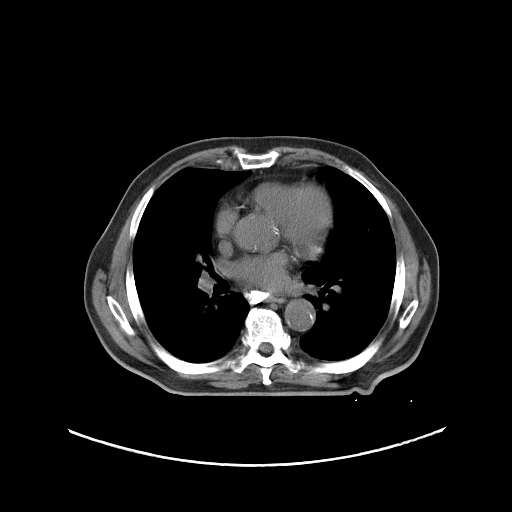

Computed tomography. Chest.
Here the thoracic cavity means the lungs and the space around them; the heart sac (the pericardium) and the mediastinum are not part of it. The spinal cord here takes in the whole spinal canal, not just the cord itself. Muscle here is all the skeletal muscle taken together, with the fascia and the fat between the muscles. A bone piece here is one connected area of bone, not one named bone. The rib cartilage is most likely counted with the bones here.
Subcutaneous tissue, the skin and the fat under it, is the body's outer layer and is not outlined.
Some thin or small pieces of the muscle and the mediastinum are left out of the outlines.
The torso is outlined by 263 135; 317 137; 357 149; 405 196; 436 246; 439 258; 439 302; 423 346; 411 364; 383 378; 369 395; 355 391; 343 396; 185 396; 172 393; 114 360; 100 343; 88 319; 83 302; 86 263; 136 175; 166 151; 188 142; 220 136. The mediastinum appears in 3 outlined pieces: piece 1: 214 262; 226 278; 245 286; 270 290; 278 290; 294 281; 305 266; 301 273; 305 290; 304 297; 315 310; 315 322; 299 338; 301 352; 292 346; 292 338; 284 329; 280 316; 268 307; 250 308; 241 292; 230 289; 229 282; 217 271; piece 2: 294 161; 312 161; 326 164; 318 170; 318 173; 323 182; 314 177; 288 173; 270 173; 258 177; 252 177; 236 185; 221 199; 215 211; 214 218; 215 207; 221 195; 248 177; 252 172; 250 170; 251 169; 268 168; 275 164; 283 164; piece 3: 324 245; 324 251; 323 252; 323 253; 322 254; 322 255; 321 256; 321 257; 320 258; 319 261; 318 261; 317 262; 315 262; 314 261; 312 261; 314 259; 314 258; 319 253; 320 253; 322 251; 322 250; 323 249; 323 246. The pericardium is outlined by 270 174; 301 175; 319 180; 325 185; 333 206; 333 225; 321 251; 309 263; 306 263; 301 268; 299 274; 294 280; 278 289; 245 285; 233 278; 226 277; 215 264; 213 257; 214 219; 222 199; 236 186; 243 182; 252 178; 258 178. The muscle appears in 4 outlined pieces: piece 1: 230 145; 235 145; 231 153; 233 159; 220 157; 214 161; 218 165; 184 167; 156 189; 152 184; 142 195; 129 224; 132 266; 125 269; 124 284; 134 321; 137 325; 147 324; 157 341; 149 342; 151 349; 170 369; 188 375; 227 369; 240 374; 248 365; 258 365; 262 383; 237 389; 175 377; 130 355; 107 332; 91 295; 95 273; 99 268; 108 270; 129 210; 142 191; 175 161; 201 150, around a hole outlined by 108 295; 110 295; 119 304; 119 305; 121 307; 122 310; 125 314; 125 316; 129 324; 134 331; 134 334; 133 335; 130 335; 123 330; 119 322; 116 319; 116 318; 112 313; 108 305; 108 302; 107 301; 107 296; piece 2: 355 168; 388 194; 409 230; 419 259; 425 258; 431 275; 431 292; 427 308; 403 346; 384 361; 349 377; 341 386; 318 387; 288 382; 270 385; 272 383; 270 374; 275 364; 284 365; 294 374; 302 369; 307 370; 307 374; 337 375; 355 372; 378 351; 383 339; 375 337; 387 316; 391 315; 394 319; 399 312; 406 288; 406 266; 403 254; 396 256; 395 240; 389 221; 392 212; 382 192, around a hole outlined by 414 298; 417 298; 417 299; 418 300; 418 305; 417 306; 417 308; 416 309; 416 310; 414 312; 413 315; 411 317; 408 324; 402 330; 401 330; 400 331; 400 330; 399 329; 399 317; 402 314; 403 311; 406 308; 406 307; piece 3: 278 146; 309 147; 310 148; 314 148; 329 153; 343 160; 345 162; 341 165; 340 169; 335 166; 323 162; 313 161; 312 160; 294 160; 293 161; 288 161; 283 163; 276 163; 282 156; 282 153; 280 151; 274 148; 272 148; piece 4: 295 350; 296 351; 297 351; 298 352; 299 352; 300 353; 301 353; 310 358; 312 358; 313 359; 315 359; 316 360; 317 360; 316 360; 313 363; 307 363; 302 358; 301 358; 300 357; 298 357; 298 356; 296 354; 296 352; 295 351. The bones appear in 8 outlined pieces: piece 1: 254 307; 279 316; 295 354; 307 364; 345 360; 374 339; 382 341; 352 372; 307 373; 302 368; 294 373; 275 363; 269 385; 263 384; 260 366; 253 362; 240 373; 230 368; 178 372; 157 356; 151 341; 186 362; 229 357; inner edge: 263 342; 267 342; 268 343; 269 343; 272 346; 272 351; 269 354; 263 354; 260 351; 259 351; 259 346; 260 345; 260 344; 261 343; 262 343; piece 2: 235 146; 238 147; 242 152; 251 154; 261 154; 274 149; 280 152; 281 156; 273 165; 268 167; 258 167; 250 169; 242 169; 238 167; 234 170; 228 169; 216 164; 215 161; 220 158; 224 160; 233 160; 234 156; 232 153; 233 148; piece 3: 400 254; 402 254; 403 256; 404 265; 405 266; 405 288; 403 291; 403 297; 398 312; 396 316; 393 318; 393 316; 391 314; 388 314; 388 312; 389 311; 389 307; 391 302; 393 287; 394 286; 394 281; 395 280; 396 258; 397 256; piece 4: 128 266; 132 267; 132 269; 133 270; 133 276; 134 277; 134 281; 135 282; 135 287; 136 288; 139 303; 146 321; 146 323; 145 324; 144 323; 137 324; 134 319; 134 317; 129 306; 129 303; 127 298; 126 285; 125 284; 126 269; piece 5: 345 163; 346 164; 348 164; 357 170; 361 174; 362 174; 381 192; 391 212; 391 218; 390 219; 388 218; 388 216; 386 214; 385 211; 375 198; 375 197; 371 193; 371 192; 359 181; 347 173; 344 172; 341 169; 342 165; piece 6: 152 185; 154 185; 155 186; 155 190; 153 194; 151 196; 150 199; 148 201; 144 209; 144 211; 141 216; 135 237; 133 240; 130 240; 129 239; 129 229; 130 228; 130 224; 131 223; 131 220; 133 216; 133 213; 143 195; piece 7: 108 295; 110 295; 119 304; 119 305; 121 307; 122 310; 125 314; 125 316; 129 324; 134 331; 134 334; 133 335; 130 335; 123 330; 119 322; 116 319; 116 318; 112 313; 108 305; 108 302; 107 301; 107 296; piece 8: 414 298; 417 298; 417 299; 418 300; 418 305; 417 306; 417 308; 416 309; 416 310; 414 312; 413 315; 411 317; 408 324; 402 330; 401 330; 400 331; 400 330; 399 329; 399 317; 402 314; 403 311; 406 308; 406 307. The spinal cord is outlined by 263 342; 267 342; 268 343; 269 343; 272 346; 272 351; 269 354; 263 354; 260 351; 259 351; 259 346; 260 345; 260 344; 261 343; 262 343. The thoracic cavity appears in 2 outlined pieces: piece 1: 196 166; 220 166; 251 172; 217 199; 210 234; 211 257; 216 271; 228 282; 229 289; 241 293; 249 305; 243 323; 245 330; 239 344; 231 351; 202 362; 186 361; 175 356; 155 338; 140 303; 133 269; 134 240; 155 191; 180 170; piece 2: 325 165; 341 170; 359 182; 374 197; 387 216; 396 257; 388 311; 378 332; 357 354; 330 361; 318 360; 302 353; 300 340; 316 322; 316 310; 305 297; 306 290; 302 273; 308 264; 320 261; 328 235; 334 225; 333 201; 319 173.